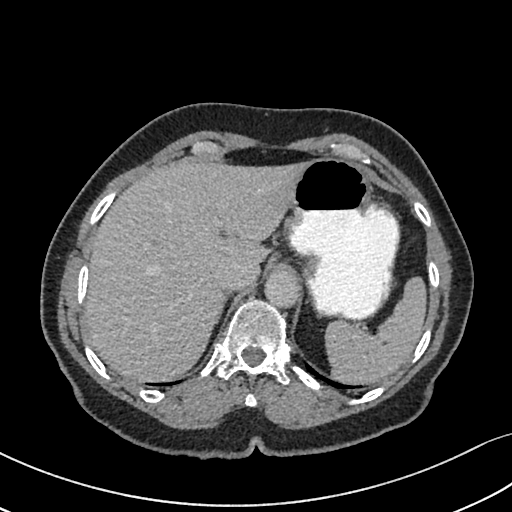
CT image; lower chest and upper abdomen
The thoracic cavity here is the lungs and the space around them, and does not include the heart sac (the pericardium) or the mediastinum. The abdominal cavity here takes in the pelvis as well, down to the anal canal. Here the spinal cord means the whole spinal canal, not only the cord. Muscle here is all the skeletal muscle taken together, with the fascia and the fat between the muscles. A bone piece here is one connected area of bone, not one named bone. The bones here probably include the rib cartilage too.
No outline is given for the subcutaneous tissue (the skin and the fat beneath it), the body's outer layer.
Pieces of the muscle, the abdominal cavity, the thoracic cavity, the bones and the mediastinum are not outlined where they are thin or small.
{"abdominal_cavity":[[[251,147],[358,160],[411,200],[425,234],[427,319],[411,358],[378,386],[340,383],[304,363],[293,342],[301,284],[287,267],[272,269],[238,303],[206,363],[183,380],[136,383],[108,370],[92,348],[83,302],[88,261],[98,222],[116,196],[185,154]]],"bones":[{"outer":[[250,299],[266,302],[283,316],[286,341],[292,348],[291,361],[318,380],[324,386],[321,389],[307,386],[288,364],[287,384],[266,372],[250,377],[242,370],[228,379],[217,376],[215,368],[200,377],[199,372],[211,357],[214,344],[224,337],[234,312]],"hole":[[247,347],[252,347],[253,348],[259,348],[260,349],[261,349],[262,350],[262,351],[265,354],[265,356],[263,358],[263,359],[257,365],[256,365],[255,366],[251,366],[250,365],[249,365],[244,360],[244,359],[242,357],[242,352],[243,351],[243,350]]},[[332,143],[347,143],[348,144],[353,144],[357,146],[363,152],[367,154],[371,159],[372,163],[371,164],[367,164],[366,163],[364,163],[360,161],[358,159],[355,159],[351,157],[348,157],[345,155],[338,155],[337,154],[335,154],[330,148],[330,144]],[[111,190],[116,190],[117,191],[115,197],[113,199],[113,200],[111,202],[107,209],[104,212],[103,215],[100,218],[100,219],[93,225],[89,224],[89,220],[90,219],[90,217],[91,216],[91,214],[93,210],[95,208],[99,201],[109,191]],[[85,343],[89,346],[90,346],[90,347],[96,354],[98,358],[104,365],[107,373],[110,376],[111,378],[110,380],[107,380],[105,378],[102,377],[98,373],[97,373],[97,372],[93,368],[90,362],[88,360],[85,354],[85,352],[84,351],[84,344]],[[379,386],[385,386],[386,387],[386,389],[380,395],[379,395],[374,399],[370,400],[369,401],[367,401],[366,402],[358,403],[357,404],[354,404],[353,405],[349,405],[347,403],[347,402],[352,398],[356,398],[357,397],[359,397],[365,392]],[[430,326],[432,326],[432,328],[431,329],[431,337],[430,338],[429,343],[421,356],[414,363],[412,363],[411,362],[411,359],[413,356],[413,354],[416,348],[416,346],[420,341],[420,339],[422,337],[422,335],[424,333],[426,329]],[[198,140],[199,141],[205,141],[207,140],[208,141],[211,141],[212,142],[214,142],[216,144],[217,144],[219,147],[218,148],[218,150],[217,152],[216,153],[209,153],[208,152],[202,152],[201,153],[192,153],[190,152],[190,148],[192,144],[194,142]],[[83,264],[86,264],[87,265],[87,282],[86,283],[86,289],[85,290],[85,295],[83,298],[83,301],[82,303],[80,304],[78,302],[78,300],[77,299],[77,289],[78,288],[78,276],[79,275],[79,271],[80,270],[80,268],[81,266]],[[141,388],[144,388],[145,389],[158,389],[159,390],[160,390],[161,391],[162,391],[164,393],[164,397],[162,399],[161,399],[158,402],[148,402],[147,401],[145,401],[138,394],[138,392],[139,391],[139,390]],[[415,200],[417,200],[421,203],[422,203],[422,204],[426,208],[430,216],[430,219],[431,220],[431,225],[429,227],[427,227],[423,225],[423,224],[417,217],[416,215],[416,213],[414,210],[415,209],[415,206],[413,203],[413,202]]],"muscle":[{"outer":[[199,130],[214,130],[224,132],[226,131],[245,135],[272,144],[285,144],[307,137],[321,136],[332,133],[346,133],[353,135],[376,148],[401,170],[423,194],[433,213],[435,220],[438,225],[438,228],[441,232],[446,246],[450,251],[451,257],[449,262],[452,268],[452,279],[451,280],[451,291],[449,296],[450,301],[449,303],[449,316],[448,322],[445,327],[444,338],[438,353],[432,360],[418,371],[407,383],[392,396],[383,400],[378,404],[358,413],[351,414],[345,417],[332,420],[329,422],[309,428],[303,428],[302,429],[281,428],[277,424],[270,421],[257,410],[243,407],[225,414],[223,417],[224,420],[216,427],[206,429],[204,428],[203,429],[177,429],[165,425],[157,419],[134,407],[124,400],[110,394],[92,379],[66,350],[61,342],[57,323],[57,304],[58,303],[58,294],[60,289],[60,281],[62,277],[62,273],[64,269],[67,255],[74,246],[74,241],[78,231],[78,226],[88,208],[104,189],[106,185],[114,177],[124,171],[142,163],[150,158],[156,152],[176,139],[189,133]],"holes":[[[198,140],[217,144],[217,154],[263,147],[329,155],[334,153],[332,143],[353,144],[383,179],[426,208],[431,220],[429,227],[423,226],[426,258],[439,273],[437,287],[429,288],[425,328],[432,326],[431,337],[414,363],[410,358],[379,384],[386,387],[380,395],[349,405],[359,396],[356,391],[322,381],[324,386],[315,390],[287,364],[287,384],[266,372],[250,377],[242,370],[224,379],[215,368],[206,376],[198,371],[158,387],[164,397],[148,402],[138,394],[143,385],[107,369],[107,380],[93,368],[84,351],[85,343],[91,345],[84,303],[77,299],[79,271],[88,264],[98,227],[97,222],[89,224],[91,214],[109,191],[116,190],[117,196],[140,176],[190,154]],[[248,393],[252,393],[253,394],[253,395],[254,396],[254,397],[256,399],[256,401],[257,402],[257,403],[256,404],[256,406],[255,407],[250,407],[249,406],[247,406],[245,404],[245,397],[246,396],[246,395]]]}],"spinal_cord":[[[247,347],[252,347],[253,348],[259,348],[260,349],[261,349],[262,350],[262,351],[265,354],[265,356],[263,358],[263,359],[257,365],[256,365],[255,366],[251,366],[250,365],[249,365],[244,360],[244,359],[242,357],[242,352],[243,351],[243,350]]],"thoracic_cavity":[[[304,364],[307,364],[310,366],[320,375],[340,384],[343,384],[348,386],[359,386],[361,388],[363,387],[377,386],[365,391],[359,396],[356,391],[353,391],[352,392],[351,391],[342,391],[340,389],[333,387],[322,381],[320,381],[314,377],[302,367]]],"torso":[[[197,102],[361,112],[397,130],[424,160],[467,245],[474,286],[461,340],[428,403],[407,424],[325,453],[269,457],[256,447],[246,457],[200,459],[172,457],[136,445],[93,419],[78,403],[40,323],[41,274],[48,246],[78,192],[126,138],[156,116]]],"mediastinum":[[[277,268],[290,269],[295,273],[300,284],[300,295],[297,302],[297,307],[295,308],[295,313],[293,314],[292,331],[293,347],[287,341],[286,319],[274,306],[262,299],[250,298],[242,302],[236,308],[239,303],[250,292],[256,288],[261,280],[268,273]]]}